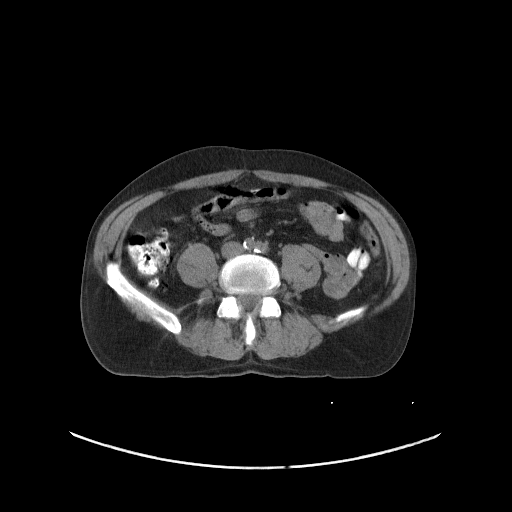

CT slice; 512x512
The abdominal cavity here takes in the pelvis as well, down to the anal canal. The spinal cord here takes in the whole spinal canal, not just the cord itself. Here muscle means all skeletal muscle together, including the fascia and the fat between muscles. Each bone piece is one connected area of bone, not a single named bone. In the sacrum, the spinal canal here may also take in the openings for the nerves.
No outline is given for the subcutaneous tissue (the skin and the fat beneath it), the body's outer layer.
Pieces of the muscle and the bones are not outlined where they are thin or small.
The spinal cord is outlined by 242,294 257,294 258,295 259,295 260,296 260,304 259,305 258,305 257,306 255,306 252,309 251,309 250,310 245,310 243,308 243,307 239,303 238,303 238,296 239,295 241,295. The abdominal cavity is outlined by 246,174 332,191 363,211 385,255 377,293 332,313 306,307 301,293 321,267 296,243 281,248 279,269 247,252 220,269 208,245 189,242 175,268 201,289 196,299 174,306 139,287 122,266 137,213 175,191. The muscle is outlined by 230,169 249,169 250,170 262,169 282,173 300,174 309,177 313,177 335,185 338,185 355,192 360,192 377,200 386,208 396,220 407,243 410,260 410,268 409,269 409,279 403,292 389,307 383,311 373,315 371,317 364,317 352,324 345,326 331,333 326,334 319,345 305,354 298,357 278,357 273,359 262,359 253,351 247,352 242,357 236,360 226,360 212,356 200,356 190,352 185,347 180,345 164,329 159,328 149,322 138,320 135,315 130,312 122,303 116,294 122,299 126,300 131,304 135,305 138,308 143,310 154,321 157,322 173,335 176,336 181,333 182,324 179,317 174,312 166,308 135,286 122,272 120,266 117,262 110,259 105,263 104,266 105,283 109,287 100,279 95,271 92,261 92,255 97,232 102,222 119,205 134,196 143,194 148,191 151,191 155,189 166,187 169,185 172,185 180,181 199,175 224,171 with a hole at 246,174 253,174 271,182 332,191 349,200 366,214 379,234 387,275 377,293 363,303 367,307 361,314 346,321 335,322 332,319 340,311 314,311 302,304 301,293 318,283 321,267 309,251 296,243 287,243 281,248 278,270 281,283 270,293 277,300 281,314 279,317 253,317 255,337 251,345 245,343 243,316 236,319 218,317 216,314 221,297 226,293 219,282 220,266 215,253 205,243 189,242 175,264 180,279 186,285 201,289 198,297 204,300 200,304 195,299 178,306 171,305 139,287 128,276 122,266 122,246 138,212 175,191 220,184. The bones appear in 3 outlined pieces: piece 1: 247,253 270,259 278,268 281,282 270,293 277,300 281,314 279,317 260,317 258,315 253,317 255,337 251,345 245,343 245,318 243,316 236,319 218,317 216,314 221,297 226,294 219,282 223,264 232,257, around a hole outlined by 242,294 257,294 258,295 259,295 260,296 260,304 259,305 258,305 257,306 255,306 252,309 251,309 250,310 245,310 243,308 243,307 239,303 238,303 238,296 239,295 241,295; piece 2: 110,260 118,264 121,272 135,287 160,305 174,313 178,317 181,324 181,331 179,334 176,335 167,330 161,324 154,320 143,309 119,296 116,292 106,283 105,266 106,263; piece 3: 362,304 366,304 367,305 367,307 361,314 357,315 356,316 354,316 348,319 346,321 341,321 340,322 335,322 334,321 332,321 332,319 339,313 343,312 345,310 347,310 350,308 353,308 356,306 358,306. The torso is outlined by 206,145 284,148 318,155 363,178 399,212 415,243 417,273 409,339 391,369 375,377 349,379 277,378 255,373 216,378 153,378 117,375 96,361 82,331 79,307 86,240 95,218 114,195 150,167 182,151.